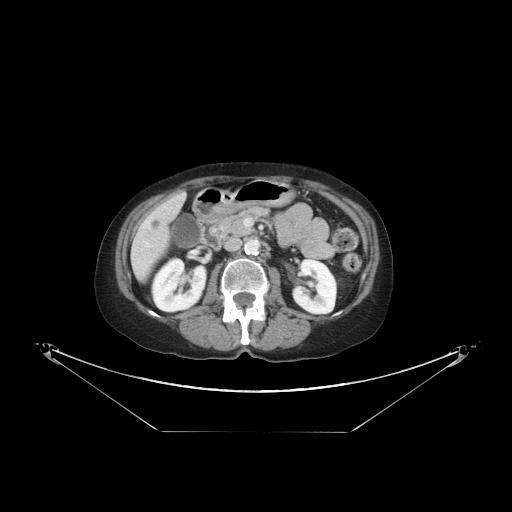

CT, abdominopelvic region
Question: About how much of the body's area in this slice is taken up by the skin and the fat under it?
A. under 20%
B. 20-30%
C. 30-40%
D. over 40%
Answer: B. 20-30%
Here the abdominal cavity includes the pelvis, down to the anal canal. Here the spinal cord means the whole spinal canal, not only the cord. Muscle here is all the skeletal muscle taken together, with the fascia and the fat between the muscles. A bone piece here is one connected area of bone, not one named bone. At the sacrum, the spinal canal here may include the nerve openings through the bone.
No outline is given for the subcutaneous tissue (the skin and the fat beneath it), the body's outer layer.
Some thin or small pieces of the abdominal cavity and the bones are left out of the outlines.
{"bones":[{"outer":[[242,257],[259,262],[264,268],[269,282],[269,288],[264,295],[265,319],[251,319],[249,321],[247,327],[249,343],[247,345],[243,345],[240,342],[242,329],[239,320],[236,319],[232,322],[222,320],[223,295],[220,291],[220,275],[226,262],[230,259]],"hole":[[242,292],[246,292],[247,293],[250,293],[254,296],[254,299],[252,301],[251,303],[251,305],[249,306],[246,306],[245,307],[241,307],[237,305],[237,304],[234,300],[234,296],[236,294],[238,293],[241,293]]}],"spinal_cord":[[[242,292],[246,292],[247,293],[250,293],[254,296],[254,299],[252,301],[251,303],[251,305],[249,306],[246,306],[245,307],[241,307],[237,305],[237,304],[234,300],[234,296],[236,294],[238,293],[241,293]]],"abdominal_cavity":[[[249,179],[314,191],[352,219],[367,257],[353,299],[323,315],[294,309],[283,297],[279,270],[242,256],[228,259],[222,269],[222,263],[213,267],[198,305],[162,314],[144,303],[134,292],[127,264],[129,243],[140,221],[160,202],[183,191]]],"torso":[[[258,158],[289,159],[317,166],[357,188],[375,206],[388,233],[394,268],[389,308],[376,333],[330,357],[271,363],[246,352],[235,359],[201,361],[156,353],[140,347],[112,328],[98,309],[93,275],[102,237],[124,203],[149,183],[181,169],[205,162]]],"muscle":[[[212,175],[286,175],[308,179],[326,185],[361,205],[375,222],[380,254],[370,292],[344,316],[314,328],[298,345],[269,351],[248,345],[250,321],[266,319],[265,295],[270,288],[267,266],[278,270],[281,294],[289,308],[312,316],[331,314],[337,317],[343,311],[340,309],[356,296],[360,283],[366,278],[368,262],[358,226],[331,200],[298,185],[249,178],[194,186],[166,197],[139,221],[126,253],[127,277],[133,292],[150,308],[147,313],[158,319],[160,314],[174,315],[200,305],[212,270],[217,264],[222,264],[219,275],[221,320],[224,323],[238,320],[242,345],[228,351],[207,349],[142,313],[120,291],[115,277],[115,248],[125,218],[136,205],[151,196],[184,181]]]}